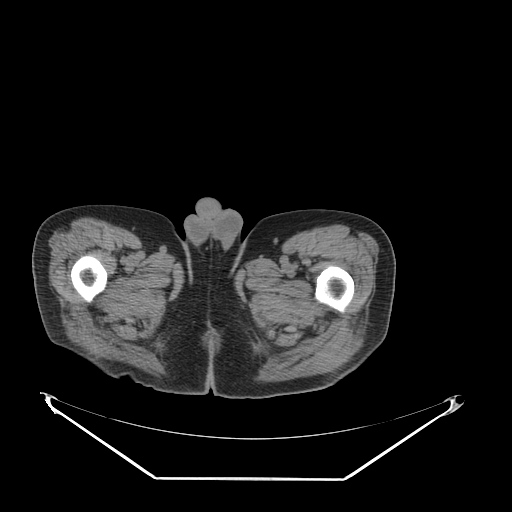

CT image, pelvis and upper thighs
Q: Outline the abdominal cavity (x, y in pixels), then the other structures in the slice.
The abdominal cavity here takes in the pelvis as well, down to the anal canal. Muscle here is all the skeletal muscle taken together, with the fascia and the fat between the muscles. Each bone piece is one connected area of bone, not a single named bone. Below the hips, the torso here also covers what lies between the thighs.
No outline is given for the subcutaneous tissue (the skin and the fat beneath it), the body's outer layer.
A: The abdominal cavity is outlined by [[212,337],[213,337],[214,337],[214,338],[214,339],[214,340],[214,341],[213,342],[213,343],[213,344],[213,345],[212,345],[211,345],[210,345],[210,344],[210,343],[210,342],[210,341],[210,340],[210,339],[211,338]]. The muscle appears in 3 outlined pieces: piece 1: [[334,223],[355,227],[368,233],[379,246],[377,286],[368,318],[370,324],[367,326],[364,345],[353,359],[334,372],[277,382],[256,382],[252,377],[258,367],[258,358],[236,292],[234,277],[245,262],[261,254],[273,253],[286,239],[297,232]], around a hole outlined by [[329,265],[336,265],[343,268],[350,274],[354,282],[354,293],[353,294],[353,296],[352,297],[351,301],[345,308],[344,312],[340,312],[336,309],[326,304],[320,303],[314,296],[317,276],[323,269],[324,269]]; piece 2: [[77,216],[93,216],[123,227],[155,243],[166,245],[181,261],[184,267],[184,283],[159,327],[161,345],[168,368],[167,376],[158,377],[130,364],[96,357],[75,345],[66,337],[61,323],[58,302],[49,284],[47,274],[47,243],[51,233],[59,224]], around a hole outlined by [[86,254],[90,254],[96,257],[101,262],[107,272],[107,281],[106,282],[106,285],[104,289],[101,292],[98,293],[90,302],[88,302],[84,300],[84,299],[77,292],[77,291],[74,288],[72,284],[72,281],[71,280],[71,268],[74,262],[78,258]]; piece 3: [[209,329],[214,329],[215,330],[216,330],[217,331],[217,332],[219,334],[219,336],[220,337],[220,338],[221,339],[221,341],[220,342],[220,347],[219,348],[219,350],[217,352],[215,352],[214,353],[213,353],[212,352],[210,352],[204,346],[204,345],[202,343],[202,340],[201,339],[201,338],[202,337],[202,336],[203,335],[203,334],[207,330],[208,330]]. The right leg is outlined by [[95,203],[127,205],[159,212],[172,221],[183,239],[200,277],[208,287],[207,328],[200,337],[210,360],[207,394],[167,393],[133,382],[125,376],[119,378],[109,376],[48,338],[38,310],[31,270],[31,253],[36,231],[45,218],[58,210]]. The left leg is outlined by [[309,208],[343,210],[364,215],[378,223],[388,235],[395,254],[396,276],[385,339],[357,369],[326,388],[258,399],[215,396],[209,388],[210,368],[212,358],[221,348],[222,338],[219,330],[208,322],[209,288],[228,279],[243,238],[258,220],[275,213]]. The bones appear in 2 outlined pieces: piece 1: [[329,265],[336,265],[343,268],[350,274],[354,282],[354,293],[353,294],[353,296],[352,297],[351,301],[345,308],[344,312],[340,312],[336,309],[326,304],[320,303],[314,296],[317,276],[323,269],[324,269]]; piece 2: [[86,254],[90,254],[96,257],[101,262],[107,272],[107,281],[106,282],[106,285],[104,289],[101,292],[98,293],[90,302],[88,302],[84,300],[84,299],[77,292],[77,291],[74,288],[72,284],[72,281],[71,280],[71,268],[74,262],[78,258]]. The torso appears in 2 outlined pieces: piece 1: [[204,196],[211,196],[216,198],[224,208],[232,208],[239,212],[243,219],[241,230],[242,241],[229,275],[227,279],[216,284],[212,284],[209,287],[201,277],[185,245],[183,238],[185,236],[183,228],[184,218],[188,214],[191,214],[195,211],[196,201]]; piece 2: [[208,323],[218,330],[218,332],[221,338],[221,344],[220,345],[220,348],[218,350],[217,353],[214,356],[213,356],[211,358],[211,359],[209,359],[209,355],[206,352],[204,348],[202,340],[201,339],[201,337],[207,331],[207,329],[208,328]].